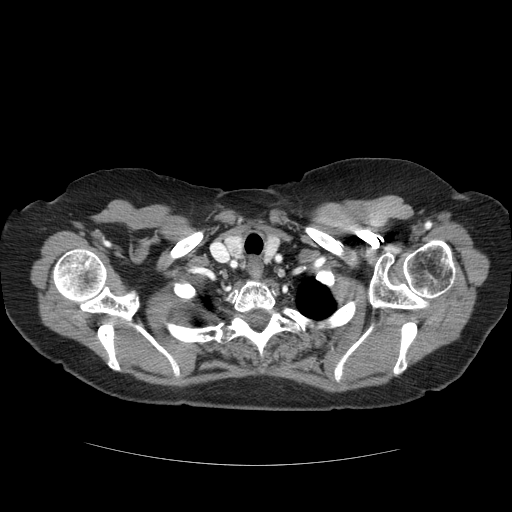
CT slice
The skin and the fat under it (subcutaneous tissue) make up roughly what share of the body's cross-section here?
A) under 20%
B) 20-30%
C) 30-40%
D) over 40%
C) 30-40%
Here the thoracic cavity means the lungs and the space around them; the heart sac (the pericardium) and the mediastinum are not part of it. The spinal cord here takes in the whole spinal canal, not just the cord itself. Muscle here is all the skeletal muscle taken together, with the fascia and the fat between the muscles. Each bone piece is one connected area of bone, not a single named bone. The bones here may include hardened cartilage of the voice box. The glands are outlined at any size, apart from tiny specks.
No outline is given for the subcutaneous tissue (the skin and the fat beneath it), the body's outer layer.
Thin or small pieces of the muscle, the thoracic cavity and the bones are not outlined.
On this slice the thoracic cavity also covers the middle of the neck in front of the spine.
Outlines:
muscle: 385,194 400,196 416,210 450,211 488,255 490,267 458,339 407,369 418,325 415,321 401,325 391,371 394,377 401,376 384,385 330,393 265,375 181,388 150,384 118,373 123,370 111,322 96,330 105,363 85,346 52,331 38,314 37,289 29,272 43,242 59,230 77,231 113,199 185,210 220,204 250,216 275,203 311,208, around holes outlined by 251,228 287,239 285,256 295,265 305,266 306,274 331,270 337,276 330,290 335,303 356,301 352,318 333,328 307,328 300,334 281,331 268,340 262,358 244,336 224,343 188,343 173,337 164,321 193,326 198,320 205,326 230,319 234,311 224,301 225,294 208,312 195,299 183,301 172,283 186,281 200,290 203,269 214,265 208,251 210,243 and by 432,239 441,239 451,248 457,267 457,276 451,288 430,299 429,305 424,308 398,309 373,307 368,298 368,290 378,259 384,253 391,254 394,258 387,271 388,278 390,282 395,285 405,283 403,263 406,256 and by 77,248 87,249 100,259 107,273 105,284 113,294 119,296 135,290 140,305 131,319 173,357 179,367 178,377 174,375 167,358 126,320 106,313 83,311 77,302 64,297 57,290 52,278 53,267 65,252 and by 306,225 312,226 323,232 325,232 336,240 339,241 341,244 341,247 343,251 343,256 344,258 341,258 339,256 328,251 322,246 321,246 317,242 316,242 311,237 310,237 305,232 304,230 304,227 and by 197,230 203,230 204,231 204,236 201,241 200,241 197,245 196,245 192,249 191,249 186,254 181,257 176,258 171,262 168,263 169,261 169,253 172,248 177,243 177,242 182,238 189,235 192,232 196,231 and by 371,324 374,324 374,327 372,331 357,347 357,348 347,358 343,366 343,373 342,374 342,377 340,381 337,382 334,378 334,368 336,364 344,354 344,353 350,347 350,346 363,334 363,333 370,326
thoracic cavity: 251,228 265,232 265,263 278,251 280,238 287,239 285,256 330,290 336,309 311,318 292,307 286,284 266,276 247,278 213,311 205,311 195,299 203,269 214,265 210,243 223,239 229,255 240,260 242,232
right arm: 67,185 78,204 86,227 88,237 88,283 82,302 72,317 48,343 36,351 13,326 6,313 0,273 0,239 2,235 4,221 6,216 12,209 16,207 21,208 30,202 38,199 51,200 62,193
torso: 350,157 406,159 439,176 415,210 411,276 431,312 476,354 445,388 401,405 372,409 270,411 146,404 103,393 37,352 73,317 88,288 89,237 68,184 74,179 99,169 142,167 225,190 264,188
thyroid glands 1: 240,232 243,236 243,243 242,244 242,257 240,259 236,259 234,258 231,255 230,255 230,254 226,249 224,245 224,242 223,241 224,240 224,238 226,236 228,235 231,235 232,234 235,234 236,233 239,233
thyroid glands 2: 266,232 268,232 269,233 274,234 276,236 277,236 280,240 280,243 279,244 279,246 277,249 277,251 274,254 274,255 268,262 265,262 264,261 264,252 265,251 265,247 266,246 266,238 265,237 265,233
spinal cord: 254,309 262,309 263,310 264,310 268,314 269,314 269,318 268,319 268,321 267,322 266,325 260,331 257,331 256,330 253,329 249,325 249,324 247,322 247,321 244,317 245,316 245,314 246,313 247,313
bones 1: 247,279 270,288 286,285 283,303 314,320 328,317 351,300 356,301 355,313 333,328 307,328 300,334 281,331 268,340 262,358 244,336 224,343 183,342 169,333 164,321 195,327 227,322 234,311 223,299 with a hole at 254,309 262,309 263,310 264,310 268,314 269,314 269,318 268,319 268,321 267,322 266,325 260,331 257,331 256,330 253,329 249,325 249,324 247,322 247,321 244,317 245,316 245,314 246,313 247,313
bones 2: 432,239 441,239 451,248 457,267 457,276 451,288 430,299 429,305 424,308 398,309 373,307 368,298 368,290 378,259 384,253 391,254 394,258 387,271 388,278 390,282 395,285 405,283 403,263 406,256
bones 3: 77,248 87,249 100,259 107,273 105,284 113,294 119,296 135,290 140,305 131,319 173,357 179,367 178,377 174,375 167,358 126,320 106,313 83,311 77,302 64,297 57,290 52,278 53,267 65,252
bones 4: 406,322 415,322 417,325 417,333 407,350 407,353 406,354 406,357 407,358 407,367 403,373 396,377 393,375 392,371 399,354 399,348 400,347 400,336 401,335 400,329 402,325
bones 5: 104,323 111,323 113,325 113,327 114,328 114,348 115,349 115,355 116,356 116,358 122,370 120,372 114,371 107,365 106,363 108,359 107,353 97,336 97,330 98,328 102,324
bones 6: 306,225 312,226 323,232 325,232 336,240 339,241 341,244 341,247 343,251 343,256 344,258 341,258 339,256 328,251 322,246 321,246 317,242 316,242 311,237 310,237 305,232 304,230 304,227
bones 7: 197,230 203,230 204,231 204,236 201,241 200,241 197,245 196,245 192,249 191,249 186,254 181,257 176,258 171,262 168,263 169,261 169,253 172,248 177,243 177,242 182,238 189,235 192,232 196,231
bones 8: 371,324 374,324 374,327 372,331 357,347 357,348 347,358 343,366 343,373 342,374 342,377 340,381 337,382 334,378 334,368 336,364 344,354 344,353 350,347 350,346 363,334 363,333 370,326
bones 9: 183,281 186,281 188,283 191,284 197,290 197,295 195,297 195,298 192,301 190,302 186,302 185,301 183,301 183,300 181,298 180,298 174,292 173,290 173,285 172,284 173,282 182,282
bones 10: 329,269 331,270 335,274 336,276 337,276 337,280 335,282 335,283 333,285 333,287 331,289 330,289 326,285 318,281 315,278 315,273 316,272 320,270 328,270
left arm: 440,176 460,191 475,190 488,194 496,198 505,206 508,213 509,231 511,239 511,272 509,280 509,289 506,308 502,317 488,334 477,354 457,339 432,312 425,303 424,299 420,294 412,276 412,233 416,210